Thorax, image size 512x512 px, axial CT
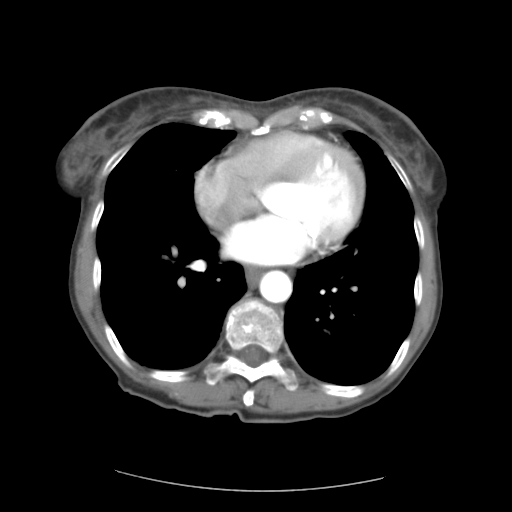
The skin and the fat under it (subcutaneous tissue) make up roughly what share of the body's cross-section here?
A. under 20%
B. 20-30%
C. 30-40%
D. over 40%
A. under 20%
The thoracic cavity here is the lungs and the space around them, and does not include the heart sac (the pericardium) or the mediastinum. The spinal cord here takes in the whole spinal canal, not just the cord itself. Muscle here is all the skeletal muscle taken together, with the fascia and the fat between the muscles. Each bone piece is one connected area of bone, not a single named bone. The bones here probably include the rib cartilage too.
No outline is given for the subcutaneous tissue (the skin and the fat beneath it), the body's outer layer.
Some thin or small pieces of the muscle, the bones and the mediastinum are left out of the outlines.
{"bones":[{"outer":[[252,298],[270,306],[282,318],[283,348],[276,355],[285,368],[291,368],[295,372],[297,387],[294,390],[287,389],[270,375],[252,383],[236,373],[213,385],[206,382],[203,372],[205,366],[221,362],[231,352],[224,341],[224,321],[229,309],[241,300]],"hole":[[252,344],[254,344],[255,345],[257,345],[259,346],[261,348],[262,348],[266,353],[266,358],[265,360],[264,360],[260,364],[256,366],[251,366],[247,364],[245,362],[244,362],[240,358],[239,356],[239,353],[243,348],[244,348],[246,346],[248,346]]},[[293,106],[301,109],[320,108],[333,115],[331,123],[307,129],[294,122],[274,126],[266,133],[253,134],[248,129],[232,125],[221,129],[198,125],[194,122],[194,115],[197,116],[205,109],[216,109],[220,111],[238,110],[253,116],[260,123],[272,114]],[[322,382],[331,383],[336,385],[343,385],[344,386],[347,386],[348,385],[358,385],[359,384],[363,384],[365,388],[364,389],[364,391],[361,394],[354,397],[336,396],[335,395],[331,395],[330,394],[327,394],[325,393],[320,387],[320,383]],[[152,369],[160,369],[161,370],[186,370],[188,372],[187,373],[187,376],[188,377],[188,378],[186,380],[184,380],[183,381],[179,381],[178,382],[171,382],[170,381],[164,381],[163,380],[158,380],[155,378],[150,377],[148,375],[148,372]],[[105,322],[107,322],[108,323],[108,324],[112,329],[113,332],[115,334],[119,343],[121,345],[123,350],[127,355],[130,361],[131,367],[128,367],[126,366],[122,362],[122,361],[118,357],[118,356],[115,353],[112,347],[110,345],[104,331],[104,323]],[[408,335],[410,337],[410,343],[409,344],[409,347],[408,348],[408,350],[403,360],[401,362],[399,366],[389,376],[386,376],[386,374],[385,372],[387,368],[389,366],[392,360],[394,358],[402,342]],[[126,145],[131,145],[130,148],[123,156],[123,157],[116,164],[116,165],[112,169],[112,170],[108,174],[108,175],[105,177],[102,177],[101,175],[102,173],[102,170],[106,162],[108,160],[108,159],[117,150],[118,150],[120,148]],[[385,153],[389,153],[392,156],[393,156],[395,158],[395,159],[400,164],[400,165],[404,170],[405,173],[407,175],[411,183],[411,185],[412,186],[412,191],[411,192],[409,192],[407,190],[404,184],[402,182],[401,179],[399,177],[398,174],[390,163]],[[415,214],[416,214],[419,217],[421,221],[421,223],[422,224],[422,227],[423,228],[424,245],[423,246],[423,248],[421,250],[419,249],[418,247],[418,243],[416,239],[415,231],[414,230],[414,225],[413,224],[413,220],[414,219],[414,215]],[[97,255],[99,257],[99,259],[100,260],[100,263],[101,264],[101,280],[100,281],[100,286],[99,287],[99,290],[98,291],[96,291],[94,289],[94,286],[93,285],[93,263],[94,262],[94,259],[95,258],[95,256],[96,256]],[[418,270],[419,271],[420,271],[420,272],[421,273],[421,278],[422,279],[422,295],[421,296],[421,300],[420,301],[420,303],[419,304],[419,305],[418,306],[415,306],[415,302],[414,301],[414,283],[415,282],[415,278],[416,277],[416,274],[417,273]],[[102,198],[103,198],[103,200],[104,201],[104,203],[103,204],[103,211],[102,212],[101,217],[99,220],[99,222],[98,223],[98,225],[96,229],[94,231],[92,231],[91,230],[91,222],[92,221],[93,213],[94,212],[95,207],[98,201]]],"muscle":[{"outer":[[108,157],[100,174],[102,178],[107,177],[103,197],[97,201],[90,222],[90,230],[96,230],[97,252],[92,263],[92,285],[96,292],[100,292],[106,319],[103,323],[105,337],[126,367],[132,367],[129,357],[151,368],[147,372],[150,378],[171,383],[183,382],[189,378],[189,372],[183,369],[203,363],[224,342],[230,352],[221,361],[208,362],[202,369],[205,382],[211,386],[236,374],[250,384],[270,376],[287,390],[296,390],[296,372],[291,367],[285,367],[277,355],[282,349],[286,357],[306,374],[322,381],[319,387],[327,395],[354,398],[365,391],[365,383],[383,372],[389,377],[409,350],[411,337],[408,334],[415,307],[420,305],[423,295],[422,273],[418,267],[419,250],[425,245],[424,228],[420,217],[414,213],[409,195],[413,191],[410,179],[430,220],[433,239],[437,301],[430,328],[410,360],[387,386],[362,401],[338,409],[279,414],[252,412],[235,406],[200,407],[180,403],[161,391],[144,386],[129,377],[98,343],[78,307],[74,293],[76,250],[90,203],[88,198],[93,191],[95,176]],"hole":[[249,388],[253,388],[254,389],[254,397],[253,398],[253,404],[252,405],[250,405],[249,406],[246,406],[244,404],[244,403],[243,402],[243,400],[242,399],[242,397],[243,396],[243,394],[246,391],[246,390],[247,389],[248,389]]},[[301,101],[308,105],[319,106],[326,109],[320,107],[301,108],[297,105],[293,105],[272,113],[260,122],[253,115],[240,111],[238,109],[220,110],[216,108],[205,108],[201,110],[197,115],[196,113],[193,115],[194,123],[181,121],[161,123],[146,131],[132,145],[126,144],[120,147],[130,136],[138,130],[166,115],[176,112],[201,107],[214,106],[224,103],[236,104],[250,111],[274,111],[290,104],[294,104]],[[330,111],[352,120],[367,130],[370,133],[381,139],[387,145],[395,157],[389,152],[385,152],[384,153],[383,150],[380,147],[380,146],[378,145],[378,144],[375,141],[374,141],[363,132],[353,129],[342,124],[332,123],[334,119],[334,115]]],"spinal_cord":[[[252,344],[254,344],[255,345],[257,345],[259,346],[261,348],[262,348],[266,353],[266,358],[265,360],[264,360],[260,364],[256,366],[251,366],[247,364],[245,362],[244,362],[240,358],[239,356],[239,353],[243,348],[244,348],[246,346],[248,346]]],"torso":[[[160,85],[251,100],[320,86],[355,88],[404,112],[437,151],[448,179],[438,211],[441,313],[425,349],[388,395],[345,419],[266,426],[244,425],[235,414],[166,409],[118,386],[70,305],[68,262],[80,202],[59,189],[53,167],[88,116],[124,94]]],"pericardium":[[[280,126],[294,126],[305,130],[310,128],[331,130],[341,134],[355,150],[363,164],[366,183],[365,203],[359,224],[345,240],[343,248],[301,267],[258,266],[225,258],[220,253],[218,241],[197,212],[193,196],[194,173],[236,136],[244,133],[266,134]]],"thoracic_cavity":[[[171,122],[235,132],[233,138],[193,173],[192,196],[199,218],[218,243],[219,253],[241,265],[246,284],[244,293],[225,315],[223,343],[203,362],[182,369],[152,368],[140,364],[126,353],[103,310],[100,291],[102,264],[96,246],[109,174],[146,132]],[[352,130],[363,133],[379,146],[408,192],[414,214],[412,224],[418,266],[413,283],[411,326],[390,363],[379,375],[364,383],[344,385],[306,373],[287,357],[282,341],[285,338],[285,308],[298,271],[343,249],[363,219],[366,172],[361,157],[345,136]]],"mediastinum":[[[241,264],[244,265],[252,265],[258,267],[283,267],[284,268],[301,268],[303,267],[299,269],[296,273],[293,282],[292,293],[286,302],[284,308],[283,318],[273,307],[256,297],[241,299],[237,301],[245,293],[247,289],[247,284],[244,276],[244,271]],[[328,124],[338,124],[339,125],[342,125],[343,126],[345,126],[348,128],[352,129],[351,130],[348,130],[345,132],[344,136],[346,138],[346,139],[341,133],[337,131],[334,131],[331,129],[323,128],[322,127],[315,127],[317,127],[320,125],[327,125]]]}